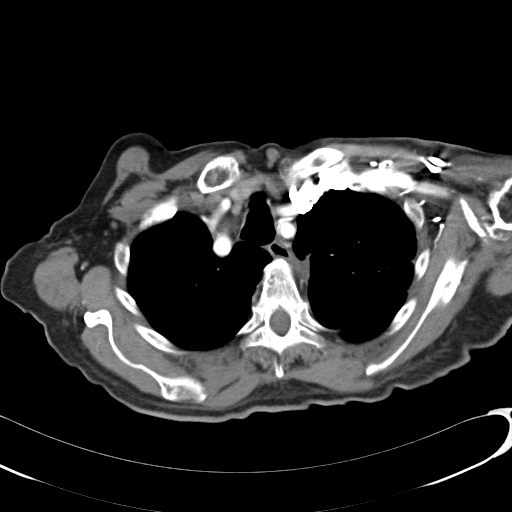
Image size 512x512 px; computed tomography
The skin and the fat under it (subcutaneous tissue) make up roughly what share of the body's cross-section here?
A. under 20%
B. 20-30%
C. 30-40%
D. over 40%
Answer: A. under 20%
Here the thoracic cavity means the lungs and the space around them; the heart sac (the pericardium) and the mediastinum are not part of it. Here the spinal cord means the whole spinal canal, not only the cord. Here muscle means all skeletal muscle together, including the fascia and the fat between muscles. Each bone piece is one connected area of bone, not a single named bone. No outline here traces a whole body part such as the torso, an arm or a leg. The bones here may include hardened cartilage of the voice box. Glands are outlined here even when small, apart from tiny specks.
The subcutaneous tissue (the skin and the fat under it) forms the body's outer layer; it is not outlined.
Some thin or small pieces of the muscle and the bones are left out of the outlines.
Outlined structures:
spinal cord: [[279,308],[281,308],[288,315],[288,316],[289,317],[289,327],[286,331],[286,332],[282,335],[280,335],[276,332],[275,332],[272,329],[272,328],[270,325],[270,319],[271,318],[271,316],[273,314],[273,313]]
thoracic cavity 1: [[331,188],[386,196],[401,207],[415,230],[416,257],[406,300],[383,331],[364,341],[347,341],[333,329],[320,323],[311,314],[310,304],[302,295],[305,296],[307,293],[310,254],[300,259],[293,249],[298,228],[297,216],[310,210]]
thoracic cavity 2: [[182,210],[200,215],[212,238],[212,253],[215,256],[224,257],[235,243],[241,241],[266,250],[272,258],[262,269],[259,291],[250,306],[249,318],[233,338],[212,349],[194,350],[178,347],[150,325],[127,290],[130,246],[136,237],[140,232],[171,219]]
muscle: [[322,142],[389,143],[444,160],[464,154],[511,158],[511,176],[487,193],[490,213],[479,219],[466,199],[458,200],[479,238],[511,238],[511,293],[482,291],[469,299],[431,362],[368,391],[340,393],[287,379],[259,386],[225,409],[163,406],[110,378],[38,296],[33,283],[37,264],[46,252],[89,230],[114,182],[117,160],[128,147],[145,147],[151,168],[160,172],[207,149],[240,149],[257,160],[268,148],[297,155]]; inner edges: [[254,179],[282,188],[300,180],[316,180],[357,192],[365,191],[362,183],[381,183],[387,197],[399,206],[405,200],[419,206],[423,224],[415,231],[416,255],[429,248],[429,260],[421,278],[417,280],[414,275],[407,288],[406,299],[415,297],[417,301],[405,323],[390,335],[385,336],[384,330],[358,342],[326,332],[329,343],[322,350],[301,342],[288,346],[280,356],[260,345],[242,350],[236,336],[218,347],[186,349],[183,354],[166,352],[144,339],[134,323],[150,327],[148,320],[128,310],[114,291],[115,286],[128,289],[127,278],[114,263],[115,244],[124,240],[130,246],[140,233],[143,214],[160,201],[175,196],[178,211],[200,215],[208,209],[212,195],[228,194]], then [[99,309],[106,309],[110,313],[113,340],[130,361],[142,364],[163,376],[190,376],[200,382],[206,397],[201,402],[190,398],[175,402],[165,400],[158,382],[150,374],[124,363],[115,354],[105,325],[100,323],[88,327],[85,324],[84,313],[87,310]], then [[449,257],[453,257],[458,261],[463,259],[468,260],[460,282],[450,301],[445,305],[436,306],[426,316],[406,347],[387,367],[371,375],[367,375],[365,372],[365,369],[369,364],[379,363],[388,357],[406,339],[412,331],[424,311],[437,278],[446,260]], then [[219,155],[231,155],[233,156],[238,163],[238,167],[240,171],[240,176],[239,178],[229,187],[223,188],[222,189],[219,189],[218,190],[216,190],[212,192],[209,192],[208,193],[202,193],[198,189],[196,185],[196,181],[205,165],[210,160]], then [[325,146],[333,147],[342,151],[343,152],[343,157],[342,159],[331,163],[326,168],[320,170],[317,173],[315,173],[312,175],[306,175],[300,178],[292,179],[291,180],[289,180],[284,176],[287,174],[286,169],[294,160],[301,157],[315,148],[324,147]], then [[275,361],[277,361],[278,362],[279,362],[280,363],[281,363],[281,365],[282,366],[282,369],[283,370],[283,375],[282,376],[282,377],[281,378],[278,378],[276,376],[276,375],[275,374],[275,366],[274,365],[274,363],[275,362]]
thyroid glands: [[246,182],[248,182],[250,183],[250,186],[249,187],[249,194],[246,198],[245,203],[242,206],[238,206],[232,199],[231,197],[231,195],[229,193],[232,189],[234,188],[236,188],[237,187],[239,187],[240,186],[242,186],[243,185],[245,185],[246,184]]
mediastinum: [[254,179],[282,188],[300,180],[333,187],[296,216],[292,249],[300,260],[309,254],[305,295],[291,265],[281,256],[273,258],[262,247],[239,240],[224,256],[213,253],[213,238],[201,218],[208,200],[212,195],[229,194],[242,207],[250,194],[249,180]]
bones 1: [[279,257],[290,265],[296,285],[309,304],[310,314],[320,324],[333,330],[324,334],[329,343],[322,350],[313,344],[301,342],[288,346],[279,356],[270,348],[260,345],[244,350],[239,347],[240,338],[235,335],[252,314],[251,306],[260,291],[263,269]], around a hole outlined by [[279,308],[281,308],[288,315],[288,316],[289,317],[289,327],[286,331],[286,332],[282,335],[280,335],[276,332],[275,332],[272,329],[272,328],[270,325],[270,319],[271,318],[271,316],[273,314],[273,313]]
bones 2: [[99,309],[106,309],[110,313],[113,340],[130,361],[142,364],[163,376],[190,376],[200,382],[206,397],[201,402],[190,398],[175,402],[165,400],[158,382],[150,374],[124,363],[115,354],[105,325],[100,323],[88,327],[85,324],[84,313],[87,310]]
bones 3: [[509,177],[511,177],[511,237],[506,240],[498,240],[487,236],[483,239],[479,237],[468,225],[459,200],[460,198],[463,198],[466,200],[479,220],[481,217],[491,213],[491,211],[487,204],[488,193],[491,190],[497,190],[499,189],[502,186],[504,181]]
bones 4: [[449,257],[453,257],[458,261],[463,259],[468,260],[460,282],[450,301],[445,305],[436,306],[426,316],[406,347],[387,367],[371,375],[367,375],[365,372],[365,369],[369,364],[379,363],[388,357],[406,339],[412,331],[424,311],[437,278],[446,260]]
bones 5: [[219,155],[231,155],[233,156],[238,163],[238,167],[240,171],[240,176],[239,178],[229,187],[223,188],[222,189],[219,189],[218,190],[216,190],[212,192],[209,192],[208,193],[202,193],[198,189],[196,185],[196,181],[205,165],[210,160]]
bones 6: [[325,146],[333,147],[342,151],[343,152],[343,157],[342,159],[331,163],[326,168],[320,170],[317,173],[315,173],[312,175],[306,175],[300,178],[292,179],[291,180],[289,180],[284,176],[287,174],[286,169],[294,160],[301,157],[315,148],[324,147]]
bones 7: [[171,196],[175,196],[177,198],[177,211],[174,214],[174,215],[171,218],[165,221],[163,221],[160,223],[153,225],[142,231],[140,231],[139,230],[139,223],[142,219],[142,216],[143,214],[149,208],[153,206],[156,203],[160,201],[165,200]]
bones 8: [[134,323],[139,323],[147,327],[151,327],[158,333],[161,334],[163,336],[167,338],[178,348],[183,349],[185,350],[186,352],[183,354],[173,354],[172,353],[166,352],[163,350],[161,350],[153,346],[145,339],[144,339],[136,331],[136,330],[134,328]]
bones 9: [[412,297],[415,297],[417,299],[417,301],[416,302],[416,305],[408,319],[398,330],[397,330],[390,335],[387,335],[385,336],[384,335],[384,333],[387,329],[390,322],[392,320],[396,313],[400,309],[400,308],[404,304],[404,303],[408,299]]
bones 10: [[121,240],[124,240],[125,241],[125,242],[129,245],[129,264],[128,265],[128,269],[127,270],[127,275],[126,276],[126,277],[125,276],[122,275],[117,269],[117,268],[114,263],[114,259],[113,258],[115,244],[118,241],[120,241]]
bones 11: [[405,200],[408,200],[410,202],[414,204],[416,204],[418,206],[419,206],[420,208],[421,208],[423,212],[423,224],[421,228],[419,230],[416,230],[415,229],[415,227],[413,223],[405,214],[402,208],[402,206]]
bones 12: [[115,286],[118,286],[122,289],[127,291],[127,292],[134,299],[140,311],[142,313],[142,315],[141,316],[139,316],[138,315],[136,315],[132,313],[129,310],[128,310],[121,303],[121,302],[117,298],[115,294],[115,292],[114,291],[114,287]]
bones 13: [[425,248],[429,248],[429,260],[428,261],[428,264],[427,265],[427,267],[426,268],[426,269],[425,270],[425,271],[424,272],[423,275],[421,277],[421,278],[420,279],[417,280],[416,279],[416,278],[414,275],[414,261],[416,259],[417,256]]
bones 14: [[368,182],[374,182],[375,183],[381,183],[383,184],[386,189],[386,191],[387,192],[387,196],[386,195],[382,195],[381,194],[379,194],[378,193],[375,193],[374,192],[369,192],[368,191],[365,191],[365,187],[362,185],[360,185],[362,183],[367,183]]